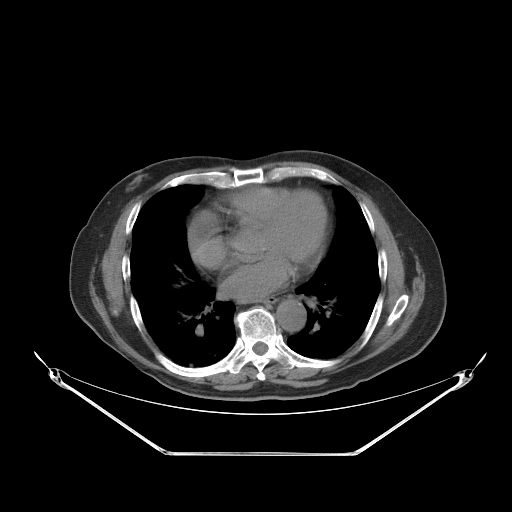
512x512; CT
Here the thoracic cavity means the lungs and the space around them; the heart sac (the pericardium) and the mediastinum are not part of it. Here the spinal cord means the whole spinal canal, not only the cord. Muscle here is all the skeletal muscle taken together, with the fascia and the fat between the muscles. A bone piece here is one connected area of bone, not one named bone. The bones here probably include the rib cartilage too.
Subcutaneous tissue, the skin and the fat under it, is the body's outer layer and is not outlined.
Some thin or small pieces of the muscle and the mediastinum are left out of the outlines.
{"torso":[[[288,149],[331,153],[367,169],[385,181],[430,232],[444,270],[447,305],[438,332],[419,354],[351,388],[321,396],[256,401],[208,399],[172,390],[140,371],[78,316],[68,290],[72,247],[99,200],[116,182],[136,169],[168,158],[214,155],[247,159]]],"muscle":[[[221,165],[232,165],[228,171],[206,170],[174,176],[143,204],[139,199],[132,205],[124,227],[125,234],[130,235],[130,251],[121,257],[121,274],[125,282],[130,278],[129,310],[133,322],[141,334],[146,329],[160,350],[153,355],[162,366],[180,376],[201,378],[224,372],[235,375],[250,362],[261,381],[243,390],[220,390],[145,366],[116,344],[89,293],[95,253],[98,261],[101,260],[114,226],[131,199],[169,174]],{"outer":[[272,161],[305,161],[315,163],[330,169],[366,192],[388,223],[397,242],[397,246],[403,254],[405,282],[409,284],[415,273],[415,255],[425,274],[424,299],[407,332],[380,353],[331,374],[327,381],[313,386],[294,387],[263,381],[266,379],[264,368],[271,360],[285,365],[289,370],[295,367],[329,368],[340,363],[342,359],[337,357],[359,338],[360,342],[357,349],[361,350],[370,339],[382,312],[384,296],[379,292],[381,283],[384,284],[387,278],[387,254],[384,248],[381,247],[377,250],[376,248],[372,235],[375,232],[374,219],[366,203],[362,200],[357,200],[345,187],[340,185],[341,183],[333,175],[323,169],[305,165],[283,165],[265,170],[262,166],[258,165]],"hole":[[402,294],[407,294],[409,297],[408,298],[408,302],[407,303],[407,305],[403,312],[400,315],[400,316],[397,319],[396,319],[392,323],[392,324],[391,324],[389,326],[386,326],[385,325],[386,320],[389,314],[391,312],[395,304],[396,300]]}],"pericardium":[[[298,181],[318,183],[330,194],[333,203],[334,223],[329,247],[325,257],[317,266],[311,277],[287,291],[266,297],[235,299],[224,296],[214,285],[202,276],[192,261],[188,247],[187,223],[193,210],[208,197],[232,188],[237,188],[248,184],[280,184]]],"mediastinum":[[[294,288],[294,291],[297,294],[303,296],[307,317],[305,328],[290,335],[286,339],[284,339],[281,329],[276,324],[274,316],[263,306],[253,306],[239,310],[235,314],[235,304],[231,300],[222,299],[222,295],[228,299],[235,300],[266,298],[287,292]],[[288,177],[311,177],[331,183],[334,185],[332,186],[332,197],[335,205],[335,216],[336,218],[335,219],[334,234],[332,239],[334,231],[335,217],[334,216],[334,203],[331,194],[321,184],[318,182],[310,180],[298,180],[280,183],[268,183],[277,182]],[[197,184],[208,184],[220,189],[229,189],[227,190],[222,190],[216,193],[214,193],[205,198],[198,205],[197,205],[192,210],[189,217],[187,219],[186,227],[185,218],[184,217],[185,214],[204,194],[204,191],[205,190],[204,187],[200,184]],[[194,265],[195,266],[195,267],[197,269],[197,270],[199,272],[199,273],[201,275],[201,276],[207,282],[209,282],[209,283],[210,284],[211,284],[212,285],[213,286],[214,286],[212,286],[209,285],[205,281],[204,281],[201,279],[201,278],[200,277],[198,272],[196,270]]],"bones":[{"outer":[[259,306],[273,316],[292,350],[310,358],[340,358],[337,364],[289,369],[271,359],[262,370],[265,375],[262,381],[250,361],[235,374],[224,371],[190,377],[170,371],[154,355],[155,351],[161,352],[185,367],[213,364],[231,350],[240,334],[234,316]],"hole":[[257,342],[262,342],[263,343],[264,343],[267,346],[267,350],[264,353],[263,353],[262,354],[258,354],[257,353],[256,353],[253,350],[253,346]]},[[232,166],[238,168],[260,166],[265,171],[283,166],[305,166],[317,168],[329,173],[340,184],[334,184],[311,176],[288,176],[277,181],[248,183],[231,188],[220,188],[208,183],[183,183],[160,190],[166,182],[174,177],[188,173],[206,171],[228,172]],[[379,294],[381,294],[383,296],[383,302],[382,303],[382,307],[381,308],[381,312],[380,313],[379,318],[369,339],[365,345],[361,349],[358,349],[359,345],[361,342],[361,339],[360,337],[369,320],[369,318],[373,310],[374,305],[376,302],[377,297]],[[402,294],[407,294],[409,297],[408,298],[408,302],[407,303],[407,305],[403,312],[400,315],[400,316],[397,319],[396,319],[392,323],[392,324],[391,324],[389,326],[386,326],[385,325],[386,320],[389,314],[391,312],[395,304],[396,300]],[[132,294],[134,296],[137,302],[137,304],[138,305],[138,307],[140,311],[140,314],[141,315],[141,317],[142,318],[142,320],[143,321],[143,323],[145,327],[145,330],[143,332],[143,333],[141,333],[138,330],[131,314],[131,311],[130,310],[130,296]],[[139,200],[140,200],[142,202],[142,205],[138,212],[138,214],[134,222],[133,227],[131,230],[131,233],[128,235],[126,234],[125,232],[125,227],[126,226],[127,218],[128,217],[128,215],[130,212],[131,208],[133,206],[133,205],[137,201]],[[381,248],[384,249],[385,251],[385,253],[386,254],[386,259],[387,260],[387,273],[386,274],[386,278],[385,279],[385,282],[384,283],[380,281],[380,278],[379,277],[379,270],[378,269],[378,254],[377,252],[378,250]],[[358,201],[362,201],[365,203],[365,204],[367,206],[372,216],[372,218],[373,219],[373,223],[374,224],[374,232],[373,234],[372,234],[370,231],[370,229],[368,226],[368,224],[365,219],[365,217],[363,214],[363,212],[361,209],[361,207]],[[124,254],[127,254],[129,256],[129,266],[130,267],[130,277],[128,279],[127,279],[125,281],[123,279],[123,275],[122,274],[122,257],[123,256],[123,255]]],"thoracic_cavity":[[[183,184],[200,185],[204,190],[202,196],[183,217],[192,264],[202,281],[214,287],[222,300],[231,301],[234,304],[232,319],[239,332],[233,346],[222,358],[203,366],[178,364],[161,351],[145,326],[138,302],[132,292],[131,234],[139,212],[157,192]],[[335,185],[345,188],[355,198],[360,207],[377,251],[377,269],[380,285],[368,320],[355,342],[336,357],[316,358],[295,351],[285,340],[306,328],[308,314],[304,303],[304,296],[295,290],[314,275],[329,251],[335,234],[337,218],[333,197],[333,186]]],"spinal_cord":[[[257,342],[262,342],[263,343],[264,343],[267,346],[267,350],[264,353],[263,353],[262,354],[258,354],[257,353],[256,353],[253,350],[253,346]]]}